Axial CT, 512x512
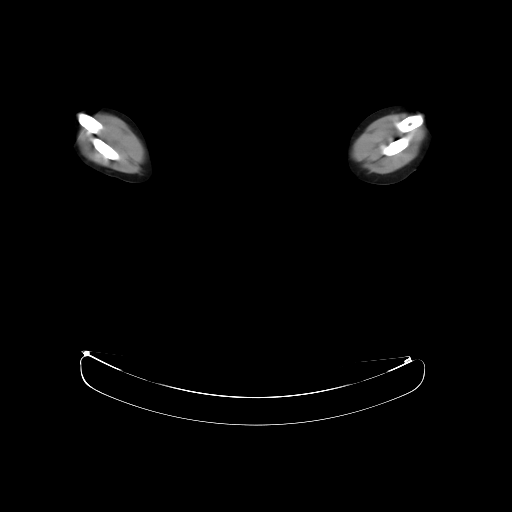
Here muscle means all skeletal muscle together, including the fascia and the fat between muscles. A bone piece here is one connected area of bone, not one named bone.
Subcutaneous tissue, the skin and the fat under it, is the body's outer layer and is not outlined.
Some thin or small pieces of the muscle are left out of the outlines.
Outlined structures:
right arm: (85, 105) (109, 106) (123, 112) (134, 121) (143, 133) (148, 143) (151, 153) (154, 166) (154, 173) (152, 178) (149, 181) (140, 184) (128, 183) (101, 174) (85, 166) (78, 160) (72, 152) (68, 142) (66, 135) (66, 125) (71, 115) (72, 114) (73, 115) (78, 108)
bones 1: (79, 112) (83, 112) (92, 116) (103, 125) (103, 129) (102, 129) (96, 136) (111, 146) (120, 155) (121, 157) (119, 160) (105, 159) (94, 147) (90, 140) (90, 137) (91, 136) (88, 135) (86, 133) (87, 132) (86, 130) (79, 124) (77, 120) (77, 114)
bones 2: (421, 114) (424, 117) (424, 122) (422, 125) (416, 128) (412, 132) (412, 137) (409, 142) (408, 146) (400, 152) (394, 155) (385, 155) (383, 154) (381, 149) (384, 146) (389, 144) (390, 142) (401, 137) (403, 135) (397, 129) (394, 123) (402, 120) (409, 115) (420, 115)
left arm: (398, 104) (415, 106) (427, 111) (430, 114) (434, 127) (434, 138) (427, 156) (417, 170) (413, 172) (406, 179) (397, 183) (388, 184) (387, 185) (372, 184) (364, 182) (353, 177) (348, 172) (345, 161) (345, 148) (350, 134) (355, 127) (369, 114) (381, 108)
muscle 1: (397, 112) (421, 113) (409, 114) (395, 121) (393, 124) (402, 135) (384, 145) (380, 149) (381, 153) (385, 156) (394, 156) (407, 148) (413, 132) (425, 122) (424, 115) (428, 133) (420, 154) (401, 170) (392, 173) (379, 175) (360, 170) (350, 157) (351, 145) (372, 121)
muscle 2: (95, 112) (109, 113) (119, 117) (141, 140) (148, 153) (149, 165) (148, 170) (142, 176) (101, 166) (81, 154) (76, 142) (76, 118) (78, 124) (90, 136) (89, 140) (93, 147) (105, 160) (119, 161) (122, 157) (111, 145) (97, 136) (104, 129) (104, 125) (91, 115)